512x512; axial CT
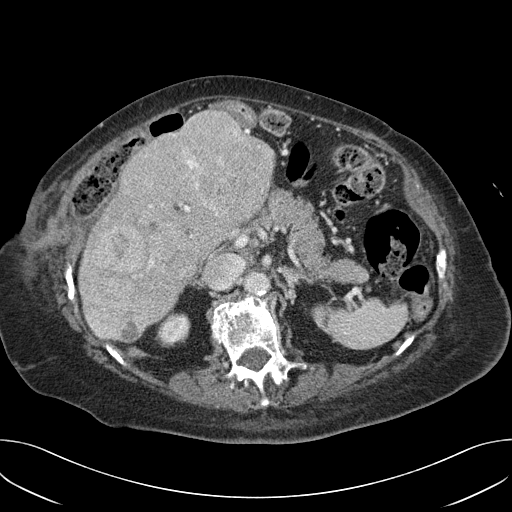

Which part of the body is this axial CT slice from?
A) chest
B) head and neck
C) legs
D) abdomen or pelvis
Answer: D) abdomen or pelvis
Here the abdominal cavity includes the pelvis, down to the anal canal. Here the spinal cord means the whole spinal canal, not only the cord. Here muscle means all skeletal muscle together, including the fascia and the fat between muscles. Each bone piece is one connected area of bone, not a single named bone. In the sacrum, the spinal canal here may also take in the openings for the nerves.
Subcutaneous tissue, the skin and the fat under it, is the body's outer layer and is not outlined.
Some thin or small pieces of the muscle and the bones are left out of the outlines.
Outlined structures:
muscle: (216, 94) (241, 95) (271, 101) (301, 109) (353, 127) (370, 131) (377, 136) (381, 137) (402, 154) (416, 170) (422, 183) (436, 196) (435, 201) (439, 212) (444, 217) (445, 222) (449, 228) (455, 243) (454, 255) (455, 287) (453, 299) (448, 305) (447, 310) (446, 309) (443, 312) (437, 323) (436, 333) (438, 337) (435, 340) (434, 345) (426, 351) (417, 361) (412, 363) (399, 373) (376, 384) (368, 386) (359, 393) (354, 391) (348, 396) (335, 398) (330, 402) (328, 402) (325, 406) (309, 407) (308, 405) (304, 405) (299, 407) (293, 413) (284, 412) (280, 409) (268, 409) (266, 411) (257, 410) (255, 412) (248, 414) (240, 414) (236, 412) (229, 413) (223, 410) (210, 411) (193, 404) (178, 401) (157, 391) (152, 390) (149, 387) (128, 381) (103, 367) (86, 355) (85, 350) (82, 346) (84, 340) (80, 334) (69, 325) (66, 319) (57, 308) (54, 291) (52, 289) (52, 279) (48, 269) (47, 262) (44, 259) (43, 251) (48, 232) (49, 218) (53, 206) (60, 198) (68, 181) (74, 172) (91, 154) (115, 136) (128, 128) (144, 121) (152, 115) (159, 113) (178, 103) (200, 96); inner edge: (210, 100) (338, 127) (401, 167) (446, 251) (446, 286) (399, 355) (306, 360) (283, 321) (284, 356) (307, 367) (279, 385) (267, 375) (263, 407) (252, 380) (222, 377) (221, 343) (206, 366) (162, 379) (119, 363) (87, 327) (64, 276) (83, 240) (73, 190) (158, 117)
torso: (215, 74) (266, 78) (345, 102) (409, 136) (440, 164) (473, 217) (511, 308) (507, 346) (486, 374) (400, 417) (286, 444) (219, 443) (111, 427) (76, 406) (35, 392) (25, 383) (8, 360) (0, 339) (0, 246) (23, 223) (38, 181) (64, 151) (116, 110) (167, 85)
bones 1: (245, 295) (255, 298) (256, 304) (257, 299) (267, 300) (280, 325) (284, 356) (307, 364) (305, 369) (291, 368) (289, 380) (279, 385) (265, 377) (265, 407) (252, 380) (246, 387) (236, 381) (231, 388) (231, 380) (222, 377) (231, 362) (223, 345) (210, 335) (214, 308) with a hole at (256, 347) (257, 348) (261, 348) (270, 356) (269, 358) (265, 362) (265, 363) (258, 370) (254, 370) (253, 369) (248, 368) (246, 366) (242, 365) (241, 364) (239, 364) (238, 363) (239, 359) (241, 357) (243, 353) (246, 350) (248, 349) (251, 349) (252, 348) (255, 348)
bones 2: (441, 246) (442, 246) (445, 249) (446, 251) (446, 267) (445, 268) (445, 277) (444, 278) (444, 280) (446, 282) (446, 286) (444, 287) (442, 285) (442, 284) (440, 282) (439, 282) (439, 280) (438, 279) (438, 274) (436, 270) (436, 255) (438, 252) (438, 250) (439, 248)
bones 3: (67, 261) (68, 261) (71, 264) (72, 266) (72, 276) (73, 277) (73, 282) (74, 283) (74, 286) (75, 287) (75, 301) (74, 302) (71, 301) (68, 298) (67, 296) (67, 283) (66, 282) (66, 280) (64, 276) (64, 271) (66, 268) (66, 262)
bones 4: (105, 343) (109, 343) (110, 344) (111, 344) (114, 348) (119, 350) (119, 352) (120, 353) (121, 356) (123, 358) (123, 359) (128, 364) (128, 367) (126, 367) (125, 366) (122, 365) (120, 363) (119, 363) (108, 352) (108, 351) (105, 348) (105, 347) (104, 346) (104, 344)
bones 5: (411, 333) (414, 333) (415, 335) (410, 345) (409, 345) (399, 355) (397, 356) (393, 356) (393, 353) (396, 350) (398, 349) (400, 345) (404, 341) (404, 340) (407, 337) (407, 336)
abdominal cavity: (210, 100) (338, 127) (401, 167) (407, 202) (437, 243) (438, 286) (431, 316) (392, 353) (364, 365) (306, 360) (290, 325) (277, 321) (266, 298) (256, 303) (249, 294) (213, 308) (208, 364) (166, 379) (87, 327) (73, 276) (83, 240) (68, 213) (73, 190) (158, 117)
spinal cord: (256, 347) (257, 348) (261, 348) (270, 356) (269, 358) (265, 362) (265, 363) (258, 370) (254, 370) (253, 369) (248, 368) (246, 366) (242, 365) (241, 364) (239, 364) (238, 363) (239, 359) (241, 357) (243, 353) (246, 350) (248, 349) (251, 349) (252, 348) (255, 348)